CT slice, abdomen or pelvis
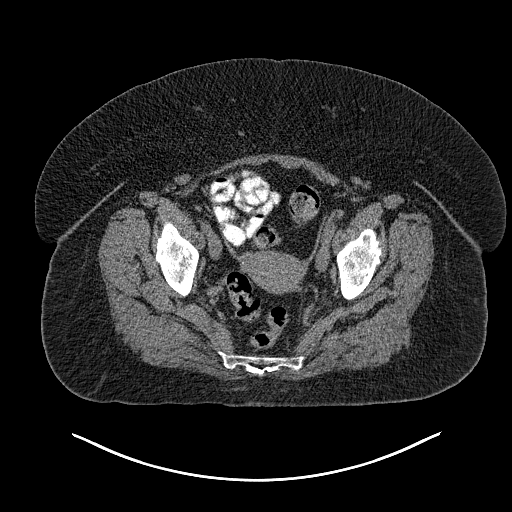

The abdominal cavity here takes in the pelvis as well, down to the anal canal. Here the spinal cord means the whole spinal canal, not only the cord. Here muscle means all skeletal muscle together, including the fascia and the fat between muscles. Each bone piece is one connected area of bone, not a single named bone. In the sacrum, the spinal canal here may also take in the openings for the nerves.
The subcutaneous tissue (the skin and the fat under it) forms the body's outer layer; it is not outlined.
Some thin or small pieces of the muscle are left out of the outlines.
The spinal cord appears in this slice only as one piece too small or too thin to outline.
{"torso":[[[244,57],[317,60],[399,81],[450,113],[490,157],[506,227],[499,245],[482,255],[485,344],[456,385],[423,399],[360,406],[132,405],[79,397],[53,373],[40,316],[55,245],[39,237],[34,221],[36,186],[48,157],[76,124],[125,90],[181,68]]],"bones":[[[368,227],[372,228],[376,233],[376,238],[378,240],[379,246],[381,248],[381,254],[379,258],[380,263],[376,267],[376,269],[366,287],[356,297],[348,300],[342,296],[340,291],[340,280],[338,276],[336,254],[347,242],[350,240],[355,239],[363,229]],[[165,221],[170,221],[175,226],[179,233],[183,237],[189,240],[195,246],[199,252],[199,259],[193,278],[192,287],[190,292],[186,296],[182,296],[175,291],[168,284],[161,271],[159,264],[155,260],[155,252],[156,251],[157,239],[160,235],[162,226]],[[218,349],[226,353],[255,356],[303,355],[304,359],[302,362],[302,366],[298,370],[295,370],[286,366],[281,366],[278,369],[273,371],[265,371],[263,375],[259,376],[247,371],[245,367],[242,365],[237,365],[232,369],[225,367],[221,356],[217,352]]],"muscle":[{"outer":[[260,153],[289,154],[317,161],[359,194],[398,193],[431,219],[433,268],[425,294],[410,319],[407,350],[372,369],[331,371],[300,380],[281,381],[265,376],[219,379],[197,371],[146,363],[116,333],[97,259],[110,215],[141,190],[174,191],[201,172]],"hole":[[269,161],[308,170],[361,205],[337,234],[335,254],[368,227],[376,233],[381,254],[369,283],[356,297],[344,298],[337,279],[332,307],[297,337],[289,351],[291,356],[304,356],[302,366],[298,370],[281,366],[259,376],[242,365],[224,366],[218,349],[241,352],[234,334],[210,313],[200,295],[200,269],[196,268],[190,292],[182,296],[166,281],[155,252],[162,226],[170,221],[200,253],[204,234],[178,200],[207,178]]}],"abdominal_cavity":[[[269,161],[287,169],[308,170],[318,180],[343,189],[354,202],[361,205],[333,243],[338,278],[332,307],[297,337],[290,355],[242,354],[236,349],[234,334],[210,313],[198,290],[198,264],[204,234],[178,202],[207,178],[238,166],[259,166]]]}